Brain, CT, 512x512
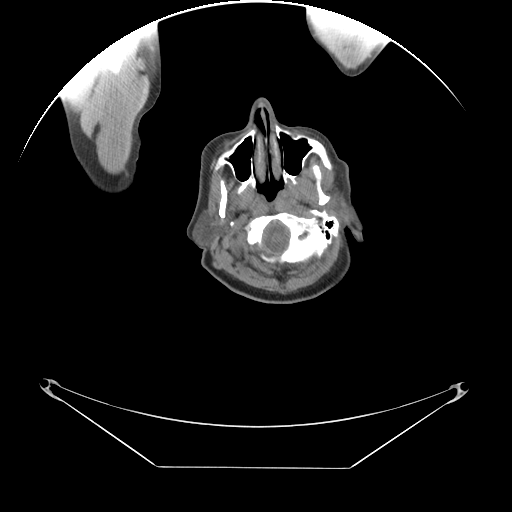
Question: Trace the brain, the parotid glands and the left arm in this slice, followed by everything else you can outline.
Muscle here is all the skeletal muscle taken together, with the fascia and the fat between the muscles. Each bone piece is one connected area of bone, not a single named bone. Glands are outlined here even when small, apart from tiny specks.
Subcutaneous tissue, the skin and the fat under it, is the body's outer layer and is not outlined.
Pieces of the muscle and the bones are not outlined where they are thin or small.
Answer: Outlined structures:
brain: 273 221; 278 221; 280 222; 287 228; 288 232; 289 233; 289 235; 288 236; 288 240; 287 241; 287 244; 286 246; 279 253; 275 253; 268 249; 265 246; 264 242; 263 241; 263 234; 264 233; 264 231; 265 229; 269 225; 269 224
parotid glands 1: 204 209; 205 209; 208 212; 210 212; 212 214; 213 218; 216 220; 220 226; 220 231; 219 233; 214 238; 210 247; 208 249; 208 248; 206 247; 205 245; 201 243; 199 243; 196 241; 192 235; 192 231; 193 230; 194 225; 201 212
parotid glands 2: 338 182; 340 182; 340 184; 339 185; 340 186; 341 190; 343 192; 343 194; 345 198; 345 201; 347 205; 347 211; 345 215; 341 218; 341 220; 338 218; 330 205; 330 200; 332 196; 332 190; 333 189; 333 187; 334 185
left arm: 305 5; 308 7; 309 7; 310 5; 312 7; 333 12; 357 20; 379 31; 385 35; 388 39; 391 40; 385 47; 382 49; 380 53; 367 69; 356 76; 346 76; 336 67; 326 52; 316 44; 311 37; 307 28; 307 23; 305 17
head: 260 95; 269 100; 281 122; 312 127; 330 140; 349 167; 351 201; 362 223; 361 243; 345 230; 351 262; 343 278; 320 295; 291 304; 263 303; 229 290; 202 268; 202 251; 186 235; 197 199; 203 147; 219 134; 242 128; 253 100; inner edges: 281 134; 284 134; 293 141; 304 140; 305 143; 307 144; 307 145; 309 147; 309 148; 302 156; 300 160; 300 169; 299 170; 299 172; 296 174; 291 174; 289 173; 284 167; 284 156; 285 155; 284 154; 284 147; 280 140; 281 138, then 247 138; 249 138; 250 139; 250 141; 252 145; 252 152; 249 158; 249 173; 247 177; 245 179; 243 180; 240 180; 238 179; 237 177; 236 170; 234 167; 234 165; 230 160; 230 157; 236 151; 237 148; 241 144; 242 144; 243 142, then 271 177; 274 178; 276 180; 281 179; 283 182; 283 185; 282 186; 282 187; 276 192; 274 197; 272 199; 268 199; 263 193; 258 191; 256 186; 257 185; 258 182; 260 182; 261 183; 262 182; 264 182; 265 181; 265 180; 267 180, then 257 110; 259 110; 260 111; 260 116; 261 117; 261 119; 262 120; 262 122; 263 123; 263 126; 264 127; 264 131; 262 131; 260 129; 260 128; 258 126; 258 125; 256 123; 256 118; 255 117; 255 115; 256 114; 256 112; 257 111
bones 1: 310 209; 319 211; 324 209; 328 214; 336 216; 339 221; 338 235; 332 239; 320 257; 314 255; 305 261; 295 263; 268 262; 260 256; 261 250; 256 244; 248 243; 247 232; 244 227; 255 217; 286 212; 309 218; 313 215; 309 211, around a hole outlined by 273 221; 278 221; 280 222; 287 228; 288 232; 289 233; 289 235; 288 236; 288 240; 287 241; 287 244; 286 246; 279 253; 275 253; 268 249; 265 246; 264 242; 263 241; 263 234; 264 233; 264 231; 265 229; 269 225; 269 224
bones 2: 264 121; 319 141; 332 169; 315 153; 307 157; 301 169; 301 160; 310 147; 304 139; 293 140; 281 133; 283 167; 296 175; 296 183; 271 176; 238 193; 240 183; 229 166; 216 171; 214 167; 218 157; 251 128; 257 126; 264 132, around a hole outlined by 247 138; 249 138; 250 139; 250 141; 252 145; 252 152; 249 158; 249 173; 247 177; 245 179; 243 180; 240 180; 238 179; 237 177; 236 170; 234 167; 234 165; 230 160; 230 157; 236 151; 237 148; 241 144; 242 144; 243 142
bones 3: 121 38; 122 38; 122 39; 123 40; 123 46; 122 47; 123 48; 123 59; 120 63; 120 69; 119 70; 119 71; 116 73; 113 73; 110 71; 109 68; 104 63; 104 62; 101 57; 100 52; 101 52; 112 43; 119 40
bones 4: 314 164; 316 164; 319 166; 321 172; 321 175; 322 176; 320 181; 321 189; 325 194; 330 196; 330 199; 323 205; 320 205; 318 203; 318 193; 316 187; 316 180; 313 171; 311 168; 312 165
bones 5: 221 179; 222 179; 224 181; 224 184; 227 190; 227 201; 226 202; 226 206; 225 207; 225 216; 223 218; 221 218; 218 213; 218 209; 219 208; 219 202; 220 201; 220 198; 221 197; 221 194; 220 193; 220 181
right arm: 152 22; 156 22; 158 26; 157 30; 161 55; 161 90; 155 104; 141 118; 139 123; 139 134; 142 142; 133 183; 122 193; 107 195; 101 193; 92 186; 74 156; 69 141; 62 107; 62 94; 60 94; 60 91; 92 58; 112 43
muscle 1: 249 127; 217 157; 213 167; 216 172; 228 166; 239 183; 238 194; 251 187; 272 200; 284 184; 289 181; 294 185; 297 183; 297 174; 311 154; 317 155; 328 170; 333 169; 333 165; 326 147; 325 146; 319 140; 290 130; 305 130; 318 136; 324 142; 341 173; 339 181; 332 187; 331 196; 322 189; 320 166; 314 163; 310 167; 317 203; 323 206; 329 201; 335 215; 324 208; 310 208; 308 211; 312 215; 309 217; 280 211; 255 216; 243 227; 247 243; 256 245; 264 261; 295 264; 314 256; 320 258; 339 235; 341 221; 342 246; 335 269; 323 280; 293 293; 284 295; 251 287; 211 264; 208 250; 221 226; 205 208; 210 158; 225 139; 233 138 with a hole at 221 179; 222 179; 224 181; 224 184; 227 190; 227 201; 226 202; 226 206; 225 207; 225 216; 223 218; 221 218; 218 213; 218 209; 219 208; 219 202; 220 201; 220 198; 221 197; 221 194; 220 193; 220 181
muscle 2: 146 24; 151 50; 150 93; 134 123; 134 142; 129 160; 126 165; 126 170; 114 175; 106 172; 98 163; 94 145; 81 131; 70 108; 65 85; 85 64; 99 53; 103 63; 109 71; 113 74; 118 73; 124 59; 124 40; 122 37
muscle 3: 311 6; 322 10; 333 12; 340 15; 343 15; 352 18; 382 33; 383 34; 378 41; 378 43; 375 49; 372 52; 371 56; 355 69; 348 69; 344 67; 328 48; 326 47; 326 46; 324 45; 314 34; 314 31; 311 25